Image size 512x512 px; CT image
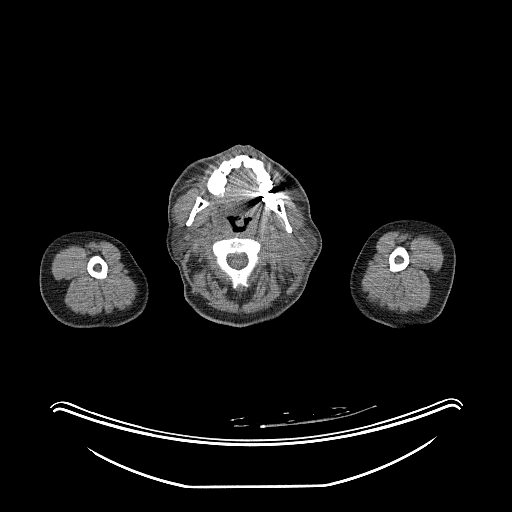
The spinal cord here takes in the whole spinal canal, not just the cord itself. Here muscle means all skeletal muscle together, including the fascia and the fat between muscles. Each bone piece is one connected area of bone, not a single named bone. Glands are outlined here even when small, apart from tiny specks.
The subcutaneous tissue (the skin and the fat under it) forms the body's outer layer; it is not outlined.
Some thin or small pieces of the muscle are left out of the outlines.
{"muscle":[{"outer":[[237,151],[249,151],[257,157],[238,153],[223,159],[207,178],[207,190],[221,198],[231,171],[242,166],[250,169],[262,193],[264,209],[276,213],[290,234],[293,228],[284,200],[272,191],[273,181],[264,160],[296,191],[306,224],[298,231],[296,240],[299,256],[307,262],[299,285],[286,299],[251,314],[216,310],[191,292],[180,261],[185,229],[181,226],[174,229],[173,207],[184,191],[184,183],[208,164]],"holes":[[[236,236],[240,238],[251,238],[254,239],[260,244],[260,250],[258,253],[258,257],[259,258],[258,262],[247,278],[247,286],[239,285],[236,288],[233,288],[230,278],[218,266],[215,261],[215,256],[213,253],[212,245],[214,242],[218,240],[231,238]],[[197,196],[200,196],[203,199],[208,201],[209,203],[206,206],[205,206],[202,209],[198,211],[195,214],[193,218],[193,221],[192,223],[188,226],[186,225],[186,221],[188,218],[188,216],[191,211],[191,209],[195,202],[195,200]],[[229,218],[234,218],[234,219],[235,220],[234,221],[234,223],[235,224],[236,224],[238,226],[243,226],[244,227],[243,228],[243,230],[242,230],[241,231],[235,231],[233,229],[233,228],[232,227],[232,223],[229,220]]]},{"outer":[[397,230],[401,232],[422,233],[429,235],[437,240],[442,246],[444,254],[442,266],[438,272],[433,275],[431,280],[431,295],[429,302],[419,312],[407,312],[402,314],[390,311],[368,301],[360,289],[361,279],[368,261],[376,250],[376,242],[384,233]],"hole":[[397,246],[403,246],[407,250],[407,251],[408,252],[408,255],[409,256],[409,262],[408,263],[408,264],[405,267],[405,268],[404,268],[402,270],[400,270],[399,271],[397,271],[396,272],[393,272],[389,269],[389,255],[391,253],[391,252]]},{"outer":[[102,240],[118,248],[121,254],[121,260],[128,270],[128,274],[137,284],[138,293],[131,306],[124,310],[114,309],[110,313],[102,312],[94,316],[74,313],[66,307],[62,287],[52,275],[52,259],[60,249],[71,244],[82,246],[90,241],[97,242]],"hole":[[93,255],[99,255],[105,261],[105,262],[107,264],[107,274],[106,275],[105,278],[103,278],[102,279],[98,279],[97,278],[96,278],[95,277],[90,275],[90,274],[88,272],[88,271],[87,270],[87,263],[89,260],[89,258],[91,256],[92,256]]}],"parotid_glands":[[[303,226],[307,228],[309,228],[309,229],[311,230],[311,231],[313,233],[314,235],[314,237],[315,238],[315,249],[313,253],[307,261],[305,261],[300,256],[300,254],[299,253],[299,250],[297,246],[297,240],[298,239],[298,235],[299,234],[299,231]],[[180,227],[184,229],[184,232],[183,233],[183,249],[182,250],[182,256],[179,259],[177,259],[174,254],[174,251],[173,250],[173,245],[172,244],[172,239],[173,238],[173,233],[174,232],[173,231],[175,229],[177,228],[179,228]]],"spinal_cord":[[[235,253],[236,253],[237,254],[238,254],[239,253],[244,253],[246,255],[246,256],[247,257],[247,263],[243,267],[242,267],[239,269],[237,269],[236,268],[234,268],[233,267],[232,267],[228,263],[228,262],[227,261],[227,256],[229,254],[234,254]]],"right_arm":[[[78,230],[99,231],[111,235],[118,239],[127,247],[144,272],[148,282],[149,296],[145,309],[135,319],[119,326],[110,328],[105,327],[75,328],[62,324],[56,320],[49,312],[41,297],[39,288],[39,268],[42,255],[47,246],[55,238],[67,232]]],"left_arm":[[[398,219],[419,219],[429,221],[440,226],[450,236],[455,249],[455,272],[453,277],[453,283],[443,310],[439,316],[433,321],[407,328],[394,328],[366,318],[359,312],[354,305],[349,290],[349,277],[352,266],[367,238],[380,226],[390,221]]],"head_and_neck":[{"outer":[[236,144],[249,144],[255,147],[281,164],[297,178],[307,195],[311,218],[318,228],[322,239],[321,251],[300,297],[275,319],[245,327],[236,327],[211,321],[192,309],[184,298],[179,270],[170,257],[166,245],[168,198],[175,180],[191,162],[211,156]],"hole":[[229,218],[234,218],[234,219],[235,220],[234,221],[234,223],[235,224],[236,224],[238,226],[243,226],[244,227],[243,228],[243,230],[242,230],[241,231],[235,231],[233,229],[233,228],[232,227],[232,223],[229,220]]}],"bones":[[[238,154],[246,154],[263,162],[272,181],[271,191],[275,192],[277,199],[283,200],[292,228],[290,233],[286,231],[282,218],[276,212],[265,209],[263,193],[250,168],[242,165],[233,168],[227,175],[221,197],[208,190],[207,181],[214,169],[223,160]],{"outer":[[236,236],[240,238],[251,238],[254,239],[260,244],[260,250],[258,253],[258,257],[259,258],[258,262],[247,278],[247,286],[239,285],[236,288],[233,288],[230,278],[218,266],[215,261],[215,256],[213,253],[212,245],[214,242],[218,240],[231,238]],"hole":[[235,253],[236,253],[237,254],[238,254],[239,253],[244,253],[246,255],[246,256],[247,257],[247,263],[243,267],[242,267],[239,269],[237,269],[236,268],[234,268],[233,267],[232,267],[228,263],[228,262],[227,261],[227,256],[229,254],[234,254]]},[[397,246],[403,246],[407,250],[407,251],[408,252],[408,255],[409,256],[409,262],[408,263],[408,264],[405,267],[405,268],[404,268],[402,270],[400,270],[399,271],[397,271],[396,272],[393,272],[389,269],[389,255],[391,253],[391,252]],[[93,255],[99,255],[105,261],[105,262],[107,264],[107,274],[106,275],[105,278],[103,278],[102,279],[98,279],[97,278],[96,278],[95,277],[90,275],[90,274],[88,272],[88,271],[87,270],[87,263],[89,260],[89,258],[91,256],[92,256]],[[197,196],[200,196],[203,199],[208,201],[209,203],[206,206],[205,206],[202,209],[198,211],[195,214],[193,218],[193,221],[192,223],[188,226],[186,225],[186,221],[188,218],[188,216],[191,211],[191,209],[195,202],[195,200]]]}